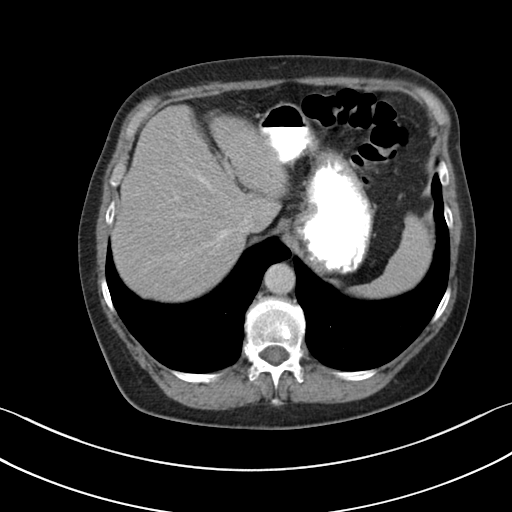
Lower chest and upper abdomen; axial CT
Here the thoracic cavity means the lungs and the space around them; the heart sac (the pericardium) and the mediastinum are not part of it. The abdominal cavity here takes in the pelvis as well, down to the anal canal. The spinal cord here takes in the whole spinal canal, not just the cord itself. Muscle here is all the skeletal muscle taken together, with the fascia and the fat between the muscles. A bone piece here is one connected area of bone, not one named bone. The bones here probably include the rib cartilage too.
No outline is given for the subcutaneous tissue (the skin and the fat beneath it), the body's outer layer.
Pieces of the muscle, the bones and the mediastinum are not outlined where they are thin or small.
muscle: 307 76; 362 76; 376 78; 398 78; 426 87; 431 90; 443 102; 450 117; 450 132; 448 140; 448 149; 450 159; 453 166; 453 171; 455 175; 457 202; 460 210; 460 218; 462 223; 460 243; 458 248; 457 269; 456 270; 456 274; 458 279; 457 292; 453 307; 450 314; 438 332; 402 367; 394 377; 381 389; 364 398; 340 403; 318 403; 317 402; 313 403; 305 403; 304 402; 290 403; 279 408; 278 407; 271 407; 263 404; 255 404; 254 405; 250 404; 242 407; 236 407; 223 410; 198 409; 186 406; 168 397; 152 379; 150 375; 140 366; 138 362; 131 355; 124 342; 108 322; 107 317; 102 309; 99 299; 97 286; 97 273; 96 272; 96 236; 95 235; 96 222; 98 217; 99 208; 101 204; 103 178; 107 166; 114 152; 122 123; 127 114; 137 103; 142 99; 152 94; 161 94; 170 90; 189 86; 196 86; 201 84; 205 84; 211 81; 228 82; 242 80; 279 79; 280 78; 293 78 with holes at 288 82; 398 91; 422 104; 420 87; 438 102; 445 121; 433 119; 435 147; 448 170; 441 192; 453 218; 448 302; 437 320; 364 379; 342 379; 308 352; 300 359; 302 382; 284 370; 276 389; 266 371; 249 379; 251 363; 242 353; 213 381; 185 381; 136 339; 101 289; 110 232; 105 214; 117 193; 109 180; 120 157; 126 163; 135 138; 126 138; 126 128; 149 101; 140 125; 172 102 and at 276 397; 277 398; 278 399; 279 400; 279 401; 279 402; 279 403; 278 404; 277 404; 276 405; 275 404; 274 404; 273 404; 272 403; 271 402; 271 401; 271 400; 272 399; 273 398; 274 398; 275 398
thoracic cavity 1: 436 173; 442 187; 442 213; 448 228; 449 270; 446 287; 429 321; 402 351; 377 367; 340 370; 321 363; 311 355; 305 343; 306 318; 296 296; 294 257; 320 280; 351 300; 389 300; 412 291; 425 278; 434 259; 437 232; 432 180
thoracic cavity 2: 272 237; 285 245; 291 254; 272 263; 264 271; 259 287; 244 314; 240 356; 229 366; 212 372; 191 372; 168 367; 136 339; 114 306; 106 279; 108 243; 117 275; 130 291; 147 302; 177 305; 198 300; 211 293; 228 277; 246 250
spinal cord: 269 346; 279 346; 280 347; 282 347; 286 351; 286 352; 288 355; 287 358; 283 361; 282 361; 280 363; 279 363; 276 365; 274 365; 273 364; 268 362; 266 360; 265 360; 261 357; 261 356; 260 355; 260 353; 265 348; 266 348
mediastinum: 291 255; 293 256; 293 267; 294 268; 295 277; 296 278; 296 283; 295 284; 295 296; 297 302; 293 302; 275 296; 265 296; 264 297; 261 297; 256 301; 253 301; 260 287; 260 284; 263 275; 268 267; 274 263; 279 262; 288 258
torso: 279 54; 353 56; 399 63; 432 79; 451 99; 459 120; 461 156; 476 228; 473 284; 461 333; 438 380; 428 391; 367 416; 313 427; 257 430; 188 424; 146 414; 119 391; 84 303; 77 234; 90 177; 117 110; 144 82; 200 62
bones 1: 265 297; 297 303; 302 308; 305 318; 304 343; 308 351; 308 359; 304 357; 300 359; 303 370; 302 382; 297 381; 289 370; 282 372; 276 389; 271 375; 266 371; 261 372; 252 381; 248 377; 251 363; 242 353; 245 314; 253 302, around a hole outlined by 269 346; 279 346; 280 347; 282 347; 286 351; 286 352; 288 355; 287 358; 283 361; 282 361; 280 363; 279 363; 276 365; 274 365; 273 364; 268 362; 266 360; 265 360; 261 357; 261 356; 260 355; 260 353; 265 348; 266 348
bones 2: 417 87; 420 87; 426 90; 430 94; 431 94; 431 95; 434 98; 435 98; 435 99; 438 102; 445 116; 445 121; 442 124; 439 124; 436 121; 432 113; 430 111; 427 105; 425 103; 424 100; 416 92; 416 88
bones 3: 171 369; 173 369; 174 370; 178 370; 179 371; 183 371; 184 372; 190 372; 191 373; 212 373; 213 372; 216 372; 217 373; 219 373; 220 375; 215 380; 208 382; 207 383; 205 382; 190 382; 189 381; 185 381; 177 377; 171 372
bones 4: 149 101; 151 101; 151 104; 152 105; 151 106; 151 109; 147 113; 146 113; 145 115; 141 119; 141 120; 139 122; 138 127; 133 136; 129 139; 126 138; 126 128; 131 118; 139 110; 140 110; 142 108; 144 104; 146 104
bones 5: 371 368; 375 368; 376 369; 376 372; 372 376; 365 378; 364 379; 361 379; 360 380; 345 380; 344 379; 342 379; 340 377; 336 376; 332 373; 333 371; 335 371; 336 370; 339 370; 340 371; 359 371; 360 370; 366 370
bones 6: 123 155; 124 156; 124 168; 123 169; 123 173; 121 176; 121 178; 119 181; 119 183; 118 185; 114 187; 110 184; 109 182; 109 180; 110 179; 110 177; 112 174; 112 171; 115 165; 118 162; 120 157
bones 7: 448 285; 449 285; 451 287; 451 292; 450 293; 450 296; 449 297; 448 302; 447 303; 443 312; 441 314; 441 315; 437 319; 437 320; 436 320; 434 322; 431 323; 430 322; 430 320; 433 316; 433 315; 445 292; 445 290
bones 8: 440 160; 443 160; 445 162; 445 163; 446 164; 446 166; 447 167; 447 169; 448 170; 448 174; 449 175; 449 183; 446 186; 442 186; 442 185; 440 182; 440 180; 439 179; 438 174; 436 171; 436 167; 438 164; 438 162
bones 9: 102 277; 105 277; 105 279; 107 283; 107 286; 108 287; 108 290; 109 291; 109 293; 111 297; 111 300; 112 301; 113 306; 116 311; 115 313; 110 310; 110 309; 108 307; 104 299; 104 297; 102 293; 102 290; 101 289; 101 279
abdominal cavity: 288 82; 398 91; 426 105; 433 118; 439 160; 431 180; 436 242; 424 278; 412 290; 389 299; 351 299; 320 279; 272 236; 246 249; 227 277; 198 299; 169 304; 140 298; 118 275; 108 242; 117 187; 139 126; 172 102